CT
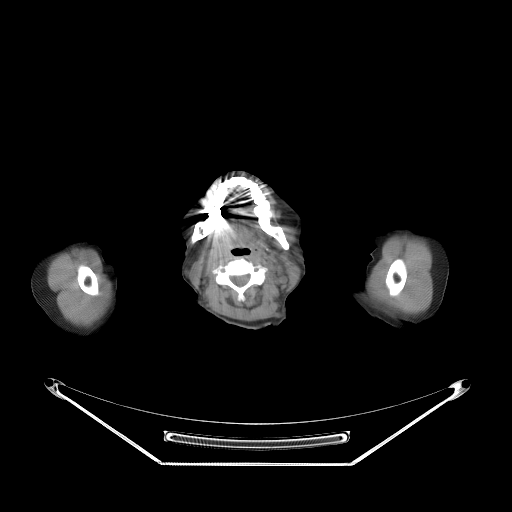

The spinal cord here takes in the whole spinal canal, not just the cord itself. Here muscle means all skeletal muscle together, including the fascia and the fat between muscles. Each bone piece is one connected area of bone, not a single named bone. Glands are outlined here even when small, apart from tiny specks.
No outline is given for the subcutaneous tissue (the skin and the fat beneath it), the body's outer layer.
Outlined structures:
right arm: (76, 240) (86, 240) (89, 242) (98, 244) (102, 249) (104, 259) (107, 262) (112, 264) (117, 274) (118, 305) (113, 317) (114, 322) (103, 333) (89, 338) (75, 337) (58, 328) (47, 317) (37, 304) (32, 295) (30, 287) (30, 276) (37, 261) (46, 253) (64, 244)
left arm: (403, 225) (416, 230) (429, 232) (436, 236) (445, 246) (450, 267) (443, 300) (435, 315) (420, 324) (411, 324) (405, 330) (400, 331) (375, 319) (364, 311) (352, 298) (350, 289) (359, 287) (363, 283) (366, 265) (371, 259) (370, 252) (374, 248) (373, 238) (385, 230)
parotid glands 1: (295, 244) (296, 245) (296, 246) (298, 249) (298, 251) (299, 252) (299, 255) (300, 256) (300, 265) (297, 265) (295, 263) (294, 263) (290, 259) (290, 258) (289, 257) (289, 253) (290, 252) (290, 250) (291, 249) (291, 248) (293, 246) (293, 245) (294, 245)
parotid glands 2: (192, 245) (196, 245) (196, 246) (198, 248) (198, 249) (199, 250) (199, 252) (198, 253) (198, 256) (194, 260) (194, 261) (192, 263) (192, 264) (191, 265) (191, 266) (188, 266) (188, 260) (189, 259) (189, 254) (190, 253) (190, 250) (191, 249) (191, 248) (192, 247)
muscle 1: (238, 174) (248, 175) (267, 188) (284, 206) (288, 215) (294, 223) (296, 229) (296, 240) (289, 250) (288, 257) (294, 264) (299, 266) (300, 268) (299, 277) (295, 284) (283, 296) (279, 310) (276, 315) (267, 319) (255, 321) (243, 321) (233, 319) (212, 311) (206, 306) (201, 295) (189, 279) (186, 272) (188, 267) (192, 266) (195, 260) (199, 256) (200, 252) (196, 244) (192, 244) (190, 248) (187, 235) (191, 218) (198, 204) (219, 182) (229, 176) with holes at (237, 176) (245, 176) (261, 188) (269, 202) (270, 223) (282, 227) (289, 243) (287, 250) (260, 227) (253, 211) (255, 205) (253, 198) (250, 192) (242, 187) (229, 191) (224, 198) (217, 229) (191, 243) (190, 238) (195, 223) (207, 216) (208, 202) (213, 192) (222, 183) and at (245, 248) (248, 252) (240, 255) (254, 265) (260, 264) (266, 267) (267, 270) (263, 282) (260, 285) (251, 285) (243, 294) (245, 299) (239, 301) (235, 290) (227, 285) (218, 284) (215, 281) (215, 274) (212, 270) (220, 264) (224, 265) (232, 260) (235, 255) (232, 250)
muscle 2: (395, 234) (408, 234) (411, 236) (423, 238) (429, 243) (432, 251) (433, 257) (431, 268) (431, 275) (433, 280) (432, 300) (428, 309) (417, 316) (407, 317) (390, 316) (374, 307) (366, 291) (366, 284) (369, 275) (372, 268) (381, 257) (381, 249) (384, 241); inner edge: (397, 258) (400, 258) (403, 260) (405, 264) (405, 266) (406, 267) (406, 270) (407, 271) (407, 276) (405, 280) (404, 286) (399, 293) (399, 294) (396, 296) (391, 296) (389, 294) (388, 289) (385, 284) (385, 278) (386, 277) (388, 269) (391, 263) (395, 259)
muscle 3: (72, 247) (89, 247) (98, 252) (106, 270) (106, 272) (109, 277) (109, 279) (112, 284) (112, 300) (110, 306) (108, 308) (106, 313) (97, 322) (90, 327) (79, 327) (78, 326) (75, 326) (64, 319) (51, 295) (46, 280) (47, 266) (51, 258) (58, 253) (69, 250), around a hole outlined by (81, 264) (83, 264) (84, 265) (86, 265) (88, 266) (94, 272) (94, 273) (96, 275) (97, 277) (97, 281) (98, 282) (98, 294) (97, 295) (92, 296) (89, 294) (87, 294) (81, 289) (80, 286) (78, 284) (78, 282) (77, 281) (77, 269) (78, 268) (78, 266)
bones 1: (237, 176) (245, 176) (261, 188) (269, 202) (270, 223) (282, 227) (289, 243) (287, 250) (260, 227) (253, 211) (255, 205) (253, 198) (250, 192) (242, 187) (229, 191) (224, 198) (217, 229) (191, 243) (190, 238) (195, 223) (207, 216) (208, 202) (213, 192) (222, 183)
bones 2: (234, 256) (242, 256) (254, 265) (260, 264) (267, 268) (263, 282) (260, 285) (251, 285) (244, 292) (243, 294) (245, 299) (243, 301) (238, 300) (238, 294) (235, 290) (227, 285) (218, 284) (215, 281) (215, 274) (212, 272) (214, 268) (220, 264) (226, 264) (232, 260), around a hole outlined by (246, 274) (248, 274) (249, 275) (249, 278) (248, 279) (248, 280) (246, 283) (245, 283) (243, 285) (241, 285) (240, 286) (239, 286) (238, 285) (237, 285) (236, 284) (235, 284) (231, 280) (231, 279) (230, 278) (230, 277) (231, 276) (242, 276) (243, 275) (245, 275)
bones 3: (397, 258) (400, 258) (403, 260) (405, 264) (405, 266) (406, 267) (406, 270) (407, 271) (407, 276) (405, 280) (404, 286) (399, 293) (399, 294) (396, 296) (391, 296) (389, 294) (388, 289) (385, 284) (385, 278) (386, 277) (388, 269) (391, 263) (395, 259)
bones 4: (81, 264) (83, 264) (84, 265) (86, 265) (88, 266) (94, 272) (94, 273) (96, 275) (97, 277) (97, 281) (98, 282) (98, 294) (97, 295) (92, 296) (89, 294) (87, 294) (81, 289) (80, 286) (78, 284) (78, 282) (77, 281) (77, 269) (78, 268) (78, 266)
spinal cord: (246, 274) (248, 274) (249, 275) (249, 278) (248, 279) (248, 280) (246, 283) (245, 283) (243, 285) (241, 285) (240, 286) (239, 286) (238, 285) (237, 285) (236, 284) (235, 284) (231, 280) (231, 279) (230, 278) (230, 277) (231, 276) (242, 276) (243, 275) (245, 275)
head and neck: (231, 170) (244, 170) (259, 177) (277, 191) (301, 218) (300, 243) (304, 251) (305, 275) (287, 297) (287, 316) (277, 326) (270, 325) (260, 330) (246, 329) (214, 317) (195, 303) (196, 293) (181, 275) (181, 263) (185, 250) (184, 240) (179, 229) (181, 218) (218, 176); inner edge: (245, 248) (246, 249) (247, 249) (248, 250) (248, 252) (247, 253) (246, 253) (245, 254) (241, 254) (240, 255) (235, 255) (232, 252) (232, 250) (233, 250) (234, 249) (238, 249) (239, 250) (241, 250) (242, 249) (244, 249)